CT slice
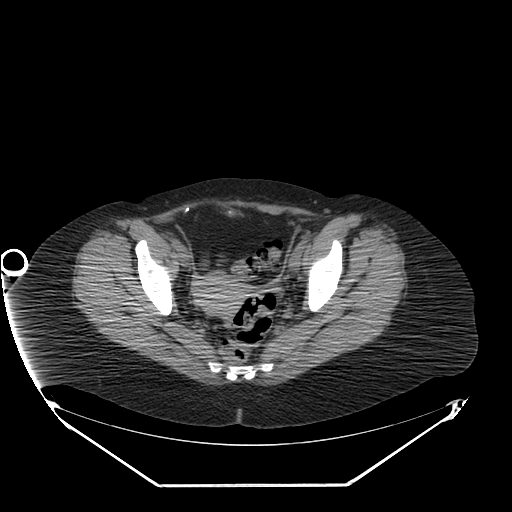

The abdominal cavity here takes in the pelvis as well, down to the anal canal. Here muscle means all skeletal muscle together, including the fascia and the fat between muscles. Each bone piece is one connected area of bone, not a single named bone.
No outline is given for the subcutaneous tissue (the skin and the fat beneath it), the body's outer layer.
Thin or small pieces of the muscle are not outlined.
The abdominal cavity is outlined by 203 205; 251 208; 271 215; 286 213; 325 221; 311 241; 305 245; 301 255; 302 273; 306 286; 299 313; 267 340; 257 361; 253 364; 228 364; 215 345; 185 320; 178 308; 173 290; 179 270; 178 255; 153 225; 173 220; 186 208. The bones appear in 3 outlined pieces: piece 1: 141 239; 146 240; 150 255; 152 258; 158 264; 166 266; 171 277; 172 309; 171 312; 168 315; 159 314; 154 305; 148 299; 147 296; 140 287; 141 284; 138 279; 138 274; 137 273; 137 257; 134 251; 134 247; 136 243; piece 2: 333 239; 337 239; 340 241; 342 245; 342 266; 343 267; 343 270; 340 279; 338 282; 337 289; 335 292; 330 297; 328 301; 324 304; 318 311; 313 312; 309 309; 307 303; 307 280; 308 279; 308 270; 314 261; 325 256; 329 252; piece 3: 208 361; 220 362; 225 365; 235 366; 257 365; 260 363; 273 363; 273 367; 269 371; 258 370; 255 376; 251 379; 248 380; 241 375; 239 375; 236 381; 232 381; 226 378; 225 375; 226 373; 224 370; 218 372; 211 371; 208 365. The muscle is outlined by 213 197; 294 205; 334 216; 363 212; 385 219; 397 232; 408 279; 405 296; 392 312; 387 329; 374 341; 275 385; 247 382; 207 385; 92 331; 94 328; 75 306; 70 295; 75 255; 92 232; 109 218; 150 216; 187 201; inner edge: 203 205; 325 221; 301 255; 306 282; 310 266; 329 252; 333 239; 342 245; 343 270; 335 292; 313 312; 305 287; 299 313; 267 340; 253 364; 273 363; 272 369; 258 370; 248 380; 239 375; 232 381; 224 370; 210 370; 208 361; 228 364; 215 345; 183 318; 173 290; 171 312; 162 315; 140 287; 136 243; 146 240; 152 258; 167 267; 173 287; 178 255; 153 225; 173 220; 186 208. The torso is outlined by 219 177; 278 180; 331 197; 366 194; 413 214; 454 254; 473 288; 478 349; 470 366; 348 415; 277 428; 177 423; 132 411; 67 385; 36 383; 18 349; 6 295; 26 273; 36 248; 51 233; 100 205; 117 200; 138 202; 154 193.